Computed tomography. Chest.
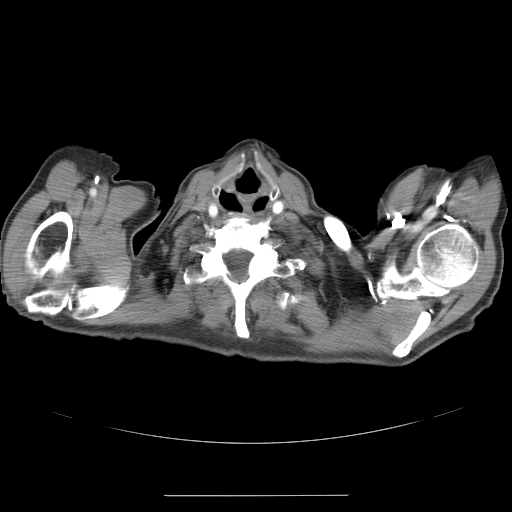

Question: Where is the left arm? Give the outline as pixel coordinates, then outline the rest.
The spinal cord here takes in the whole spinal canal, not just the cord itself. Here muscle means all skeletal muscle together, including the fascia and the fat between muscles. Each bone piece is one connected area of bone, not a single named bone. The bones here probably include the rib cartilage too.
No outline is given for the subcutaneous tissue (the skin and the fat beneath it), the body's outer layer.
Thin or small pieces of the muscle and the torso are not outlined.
Answer: The left arm is outlined by (480, 152) (488, 152) (494, 162) (500, 183) (503, 187) (507, 207) (507, 216) (502, 229) (504, 266) (500, 287) (492, 303) (464, 297) (454, 293) (426, 276) (417, 267) (412, 257) (400, 232) (395, 212) (395, 193) (397, 184) (400, 173) (405, 168) (422, 163) (455, 167). The spinal cord is outlined by (231, 250) (244, 250) (245, 251) (247, 251) (251, 253) (252, 255) (247, 265) (247, 269) (246, 270) (247, 277) (244, 280) (242, 280) (241, 281) (236, 281) (232, 279) (231, 277) (232, 275) (232, 273) (228, 268) (228, 266) (226, 264) (223, 258) (223, 255) (229, 252). The muscle is outlined by (250, 143) (302, 182) (344, 252) (350, 235) (366, 243) (384, 227) (389, 191) (417, 168) (431, 179) (497, 171) (503, 194) (491, 282) (473, 307) (413, 349) (428, 310) (387, 356) (308, 352) (283, 337) (233, 340) (189, 320) (100, 326) (42, 316) (65, 308) (76, 321) (107, 315) (125, 300) (127, 281) (50, 285) (23, 298) (26, 311) (14, 302) (2, 270) (6, 234) (56, 162) (68, 158) (110, 186) (147, 192) (126, 232) (141, 272) (193, 175); inner edges: (254, 151) (289, 206) (269, 223) (270, 236) (280, 243) (278, 258) (300, 258) (306, 266) (253, 287) (245, 304) (249, 336) (242, 338) (229, 288) (219, 278) (186, 284) (183, 272) (201, 266) (202, 255) (189, 246) (209, 240) (204, 224) (224, 223) (194, 206) (243, 152), then (450, 222) (463, 226) (478, 247) (478, 263) (474, 274) (466, 282) (452, 288) (448, 293) (441, 296) (419, 296) (416, 299) (390, 297) (380, 300) (377, 297) (375, 285) (385, 262) (394, 256) (398, 271) (401, 274) (408, 274) (417, 265) (417, 247) (423, 237) (428, 232), then (60, 210) (66, 211) (70, 215) (73, 223) (73, 230) (71, 236) (71, 245) (69, 252) (70, 268) (67, 272) (65, 279) (59, 283) (53, 283) (52, 280) (46, 276) (42, 281) (36, 282) (32, 280) (24, 272) (22, 266) (22, 253) (31, 235) (39, 224) (54, 212), then (285, 290) (286, 290) (291, 293) (293, 293) (294, 294) (300, 294) (303, 296) (303, 298) (302, 299) (301, 299) (297, 303) (294, 303) (293, 304) (288, 304) (285, 309) (281, 309) (277, 305) (277, 304) (276, 303) (276, 295) (277, 294) (278, 294) (279, 293) (280, 293). The bones appear in 9 outlined pieces: piece 1: (229, 211) (269, 218) (270, 236) (280, 243) (276, 248) (279, 260) (306, 262) (291, 276) (270, 276) (253, 287) (245, 304) (247, 338) (236, 334) (234, 298) (219, 278) (191, 284) (183, 279) (186, 268) (201, 266) (202, 255) (189, 246) (206, 243) (204, 224) (221, 227), around a hole outlined by (231, 250) (244, 250) (245, 251) (247, 251) (251, 253) (252, 255) (247, 265) (247, 269) (246, 270) (247, 277) (244, 280) (242, 280) (241, 281) (236, 281) (232, 279) (231, 277) (232, 275) (232, 273) (228, 268) (228, 266) (226, 264) (223, 258) (223, 255) (229, 252); piece 2: (450, 222) (463, 226) (478, 247) (478, 263) (474, 274) (466, 282) (452, 288) (448, 293) (441, 296) (419, 296) (416, 299) (390, 297) (380, 300) (377, 297) (375, 285) (385, 262) (394, 256) (398, 271) (401, 274) (408, 274) (417, 265) (417, 247) (423, 237) (428, 232); piece 3: (127, 282) (130, 285) (130, 288) (124, 300) (111, 312) (98, 317) (84, 320) (76, 320) (72, 318) (70, 312) (66, 307) (53, 316) (43, 313) (30, 313) (27, 311) (24, 305) (24, 298) (27, 295) (50, 286) (58, 288) (68, 287) (75, 283) (79, 287) (89, 287); piece 4: (60, 210) (66, 211) (70, 215) (73, 223) (73, 230) (71, 236) (71, 245) (69, 252) (70, 268) (67, 272) (65, 279) (59, 283) (53, 283) (52, 280) (46, 276) (42, 281) (36, 282) (32, 280) (24, 272) (22, 266) (22, 253) (31, 235) (39, 224) (54, 212); piece 5: (422, 311) (428, 311) (431, 313) (431, 319) (428, 326) (426, 329) (414, 341) (412, 344) (412, 347) (410, 351) (405, 356) (403, 357) (395, 357) (393, 356) (391, 353) (392, 350) (394, 347) (409, 333) (412, 327) (414, 325) (417, 319) (418, 315) (420, 312); piece 6: (326, 214) (331, 214) (337, 217) (340, 220) (341, 220) (341, 221) (345, 226) (349, 234) (349, 236) (351, 240) (351, 243) (352, 244) (352, 246) (351, 248) (348, 251) (344, 251) (340, 249) (335, 244) (335, 243) (332, 240) (332, 239) (328, 234) (323, 224) (323, 217); piece 7: (285, 290) (286, 290) (291, 293) (293, 293) (294, 294) (300, 294) (303, 296) (303, 298) (302, 299) (301, 299) (297, 303) (294, 303) (293, 304) (288, 304) (285, 309) (281, 309) (277, 305) (277, 304) (276, 303) (276, 295) (277, 294) (278, 294) (279, 293) (280, 293); piece 8: (254, 151) (256, 151) (257, 152) (257, 159) (260, 163) (263, 170) (268, 174) (272, 181) (277, 186) (279, 190) (279, 194) (277, 196) (277, 199) (275, 200) (270, 200) (269, 198) (271, 184) (269, 180) (258, 168) (253, 154) (253, 152); piece 9: (243, 152) (245, 153) (245, 157) (244, 158) (244, 162) (241, 170) (238, 172) (236, 172) (233, 175) (224, 180) (220, 184) (220, 186) (219, 187) (220, 188) (220, 193) (217, 196) (213, 196) (212, 194) (212, 188) (222, 179) (231, 174) (238, 167) (242, 160) (241, 154). The torso is outlined by (252, 136) (271, 145) (309, 180) (320, 206) (361, 234) (375, 226) (378, 196) (399, 173) (395, 218) (416, 267) (454, 294) (491, 304) (469, 331) (400, 367) (261, 362) (157, 341) (64, 333) (20, 317) (7, 306) (3, 294) (64, 289) (120, 266) (156, 228) (190, 170). The central area in front of the spine is outlined by (246, 152) (252, 152) (257, 168) (270, 184) (269, 200) (277, 200) (280, 191) (288, 203) (289, 211) (282, 217) (270, 219) (229, 210) (222, 222) (194, 210) (218, 177) (230, 170) (240, 158) (237, 167) (211, 188) (211, 194) (217, 197) (221, 193) (221, 184) (242, 170). The right arm is outlined by (69, 143) (83, 144) (111, 155) (120, 165) (119, 171) (113, 177) (116, 180) (144, 179) (152, 182) (161, 199) (161, 211) (134, 236) (133, 249) (135, 252) (117, 267) (93, 279) (64, 288) (38, 292) (3, 293) (0, 280) (0, 236) (4, 219) (45, 158) (56, 148).